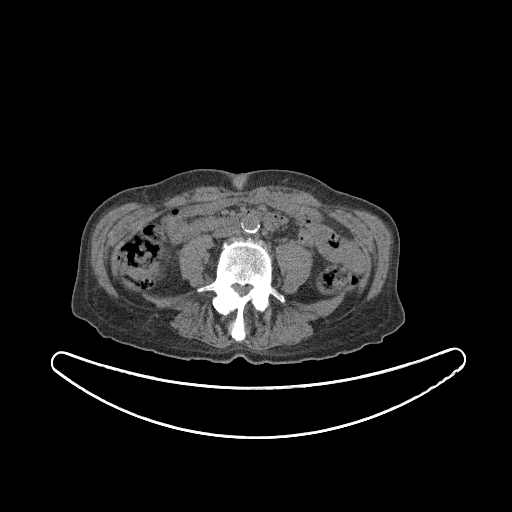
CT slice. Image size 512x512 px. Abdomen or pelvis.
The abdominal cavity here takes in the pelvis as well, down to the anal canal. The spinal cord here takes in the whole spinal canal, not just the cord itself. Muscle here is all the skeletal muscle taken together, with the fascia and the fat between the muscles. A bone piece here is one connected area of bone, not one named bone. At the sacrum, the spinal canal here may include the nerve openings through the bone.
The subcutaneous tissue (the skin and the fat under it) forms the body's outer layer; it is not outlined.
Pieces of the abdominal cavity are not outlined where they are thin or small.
The muscle is outlined by 268 185; 285 186; 286 187; 290 187; 291 188; 295 188; 299 190; 302 190; 310 193; 314 197; 326 204; 340 205; 348 208; 362 209; 369 211; 371 213; 378 216; 386 224; 392 234; 392 238; 393 239; 388 272; 383 286; 381 289; 381 291; 378 295; 370 301; 366 301; 364 303; 357 306; 344 316; 335 319; 332 321; 329 321; 324 323; 312 336; 302 340; 299 343; 295 345; 289 347; 279 347; 278 348; 272 348; 266 350; 255 350; 237 344; 230 346; 227 348; 214 348; 205 345; 176 332; 172 329; 171 327; 164 324; 158 317; 152 316; 150 314; 142 312; 130 306; 124 305; 117 302; 114 298; 111 297; 99 286; 99 284; 94 279; 90 273; 88 266; 88 258; 89 257; 89 252; 91 246; 90 243; 91 242; 92 233; 95 228; 96 224; 100 218; 113 207; 119 206; 128 202; 143 203; 144 202; 157 201; 170 197; 176 194; 179 194; 184 191; 199 186; 222 186; 231 191; 238 193; 243 193; 259 186; 267 186; inner edge: 233 196; 310 205; 346 227; 366 258; 353 297; 345 301; 341 292; 311 302; 290 298; 308 279; 313 254; 294 240; 279 243; 271 256; 271 283; 285 302; 270 295; 262 312; 248 302; 245 337; 236 341; 229 331; 236 311; 219 313; 212 304; 215 293; 196 290; 215 279; 211 235; 192 237; 177 252; 181 277; 191 287; 187 291; 149 295; 125 279; 117 270; 117 252; 131 237; 178 206. The abdominal cavity is outlined by 233 196; 310 205; 346 227; 366 258; 353 297; 290 298; 311 273; 312 252; 291 240; 271 255; 262 239; 250 236; 224 240; 217 259; 211 235; 192 237; 177 252; 191 287; 183 293; 144 294; 125 279; 117 252; 131 237; 178 206. The spinal cord is outlined by 234 284; 238 284; 239 285; 240 285; 241 286; 244 286; 245 285; 250 285; 251 286; 251 288; 248 291; 248 292; 246 294; 245 294; 244 295; 243 295; 242 296; 241 295; 240 295; 232 287; 232 285; 233 285. The bones are outlined by 234 237; 250 237; 265 243; 272 258; 271 283; 285 298; 282 303; 270 295; 269 304; 262 312; 248 302; 243 309; 245 337; 241 341; 236 341; 229 331; 236 311; 226 315; 219 313; 212 304; 215 293; 196 290; 215 279; 222 244; inner edge: 234 284; 238 284; 239 285; 240 285; 241 286; 244 286; 245 285; 250 285; 251 286; 251 288; 248 291; 248 292; 246 294; 245 294; 244 295; 243 295; 242 296; 241 295; 240 295; 232 287; 232 285; 233 285. The torso is outlined by 196 168; 236 173; 259 169; 298 171; 383 208; 399 232; 397 290; 405 312; 404 323; 381 343; 367 344; 357 351; 332 358; 289 364; 255 365; 242 357; 228 363; 187 361; 103 338; 71 311; 80 238; 88 217; 101 202; 118 191.